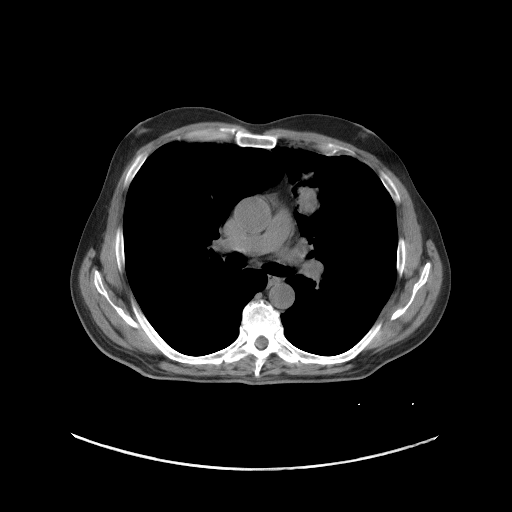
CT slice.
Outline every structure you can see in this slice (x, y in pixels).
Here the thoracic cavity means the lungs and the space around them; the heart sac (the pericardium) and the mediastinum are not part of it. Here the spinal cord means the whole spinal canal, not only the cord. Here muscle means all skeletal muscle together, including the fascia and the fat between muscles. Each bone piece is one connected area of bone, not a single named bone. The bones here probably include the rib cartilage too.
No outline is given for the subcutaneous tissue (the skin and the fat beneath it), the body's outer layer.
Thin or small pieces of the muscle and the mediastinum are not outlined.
{"mediastinum":[{"outer":[[285,173],[288,182],[292,185],[291,191],[298,201],[293,216],[305,256],[297,272],[289,271],[286,274],[285,281],[293,288],[295,298],[293,303],[280,313],[264,299],[252,299],[266,284],[263,272],[231,265],[223,259],[219,228],[240,200],[278,184]],"hole":[[274,193],[276,193],[280,201],[285,204],[291,212],[292,229],[290,233],[290,236],[284,249],[274,256],[265,256],[260,254],[252,253],[241,242],[239,236],[240,222],[242,217],[242,210],[243,209],[242,208],[245,202],[250,200],[255,196],[263,196]]}],"spinal_cord":[[[260,336],[262,336],[263,337],[264,337],[265,338],[266,338],[266,339],[267,340],[267,344],[266,345],[266,346],[264,348],[262,348],[261,349],[260,349],[259,348],[258,348],[255,345],[255,342],[256,341],[256,340],[257,339],[257,338]]],"bones":[{"outer":[[95,270],[116,305],[134,319],[133,297],[156,332],[190,356],[232,343],[251,300],[262,299],[279,312],[284,336],[294,346],[323,356],[345,352],[377,320],[382,324],[350,360],[288,363],[273,353],[256,377],[251,354],[217,365],[167,357],[97,290]],"hole":[[260,336],[262,336],[263,337],[264,337],[265,338],[266,338],[266,339],[267,340],[267,344],[266,345],[266,346],[264,348],[262,348],[261,349],[260,349],[259,348],[258,348],[255,345],[255,342],[256,341],[256,340],[257,339],[257,338]]},[[208,127],[212,127],[213,128],[235,127],[246,132],[265,134],[266,135],[277,135],[278,138],[276,145],[270,149],[261,147],[240,146],[233,141],[223,141],[221,139],[213,141],[173,140],[173,138],[178,135],[182,135],[193,130],[201,128],[207,128]],[[426,262],[430,262],[431,264],[430,271],[428,274],[427,280],[425,283],[417,290],[412,302],[407,309],[401,315],[392,320],[390,318],[391,315],[398,308],[402,307],[409,300],[413,289],[413,286],[418,280],[420,276],[420,273],[423,268],[423,266]],[[319,142],[332,142],[333,143],[335,143],[336,144],[338,144],[339,145],[347,147],[351,150],[352,150],[355,153],[355,156],[347,155],[346,154],[343,154],[342,153],[341,154],[337,154],[336,155],[326,155],[320,152],[316,148],[316,145]],[[118,226],[122,226],[122,231],[123,232],[123,250],[124,251],[124,258],[125,259],[125,269],[124,270],[124,271],[123,271],[121,273],[118,269],[118,266],[117,265],[117,261],[116,260],[116,256],[115,255],[115,234],[116,233],[116,229]],[[148,149],[150,149],[151,150],[151,152],[137,171],[136,174],[130,182],[129,186],[127,188],[125,188],[124,187],[124,180],[125,179],[125,176],[127,173],[128,169],[130,167],[131,164],[133,162],[136,156],[141,152],[145,150],[147,150]],[[380,170],[382,170],[384,171],[389,176],[389,177],[392,180],[392,181],[396,186],[397,188],[397,190],[400,196],[400,202],[398,204],[395,204],[390,194],[388,192],[388,191],[384,186],[383,183],[381,181],[378,175],[378,173]],[[399,237],[402,237],[404,239],[404,242],[405,243],[405,264],[404,265],[404,268],[403,269],[403,271],[402,272],[402,274],[401,275],[401,277],[400,278],[398,278],[397,277],[397,271],[396,270],[396,262],[397,261],[397,247],[398,246],[398,238]]],"pericardium":[[[274,193],[276,193],[280,201],[285,204],[291,212],[292,229],[290,233],[290,236],[284,249],[274,256],[265,256],[260,254],[252,253],[241,242],[239,236],[240,222],[242,217],[242,210],[243,209],[242,208],[245,202],[250,200],[255,196],[263,196]]],"torso":[[[181,106],[210,107],[252,123],[300,113],[321,113],[357,122],[376,133],[403,161],[437,221],[449,258],[450,295],[432,333],[411,351],[362,379],[323,383],[248,385],[158,380],[104,354],[84,330],[72,303],[69,277],[76,248],[120,141],[139,121]]],"muscle":[{"outer":[[204,121],[238,124],[249,131],[235,126],[208,126],[178,134],[152,152],[148,148],[138,153],[124,176],[123,187],[127,191],[122,225],[115,229],[114,255],[117,269],[121,274],[125,270],[133,294],[129,304],[134,318],[111,299],[98,269],[93,271],[92,281],[96,290],[128,325],[140,328],[159,351],[179,363],[217,366],[251,355],[256,378],[273,354],[288,364],[340,364],[355,358],[380,334],[383,322],[377,319],[394,289],[396,279],[402,277],[406,264],[405,239],[398,236],[395,205],[401,202],[401,196],[397,186],[384,170],[380,169],[377,173],[355,157],[356,153],[347,146],[319,141],[315,145],[317,150],[300,147],[299,143],[291,140],[278,141],[277,134],[262,133],[271,128],[313,131],[347,142],[374,155],[397,176],[411,198],[422,238],[424,241],[432,240],[443,268],[439,294],[425,320],[408,337],[368,356],[354,368],[323,375],[269,374],[261,379],[164,374],[105,337],[95,325],[81,295],[78,275],[87,251],[92,247],[98,252],[101,248],[117,183],[125,166],[140,147],[171,130]],"hole":[[426,262],[430,262],[431,264],[430,271],[428,274],[427,280],[425,283],[417,290],[412,302],[407,309],[401,315],[392,320],[390,318],[391,315],[398,308],[402,307],[409,300],[413,289],[413,286],[418,280],[420,276],[420,273],[423,268],[423,266]]}],"thoracic_cavity":[[[171,141],[342,154],[377,174],[395,206],[396,278],[355,344],[323,355],[285,336],[281,314],[296,298],[287,274],[306,256],[286,172],[240,199],[218,228],[222,259],[265,276],[242,308],[236,338],[190,355],[157,332],[128,281],[123,214],[138,171]]]}